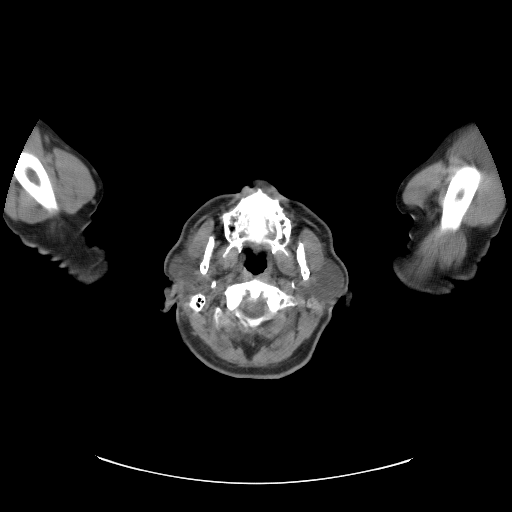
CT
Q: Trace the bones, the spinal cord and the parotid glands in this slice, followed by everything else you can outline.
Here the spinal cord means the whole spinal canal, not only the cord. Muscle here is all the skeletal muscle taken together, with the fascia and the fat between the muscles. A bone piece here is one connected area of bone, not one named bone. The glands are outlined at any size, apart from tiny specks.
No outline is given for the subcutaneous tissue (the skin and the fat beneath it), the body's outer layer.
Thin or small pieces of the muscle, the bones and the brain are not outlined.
A: {"bones":[[[257,187],[260,187],[271,197],[277,198],[284,213],[291,221],[291,233],[289,241],[285,246],[288,255],[285,255],[281,251],[273,254],[267,243],[256,244],[245,242],[239,253],[233,247],[227,256],[224,257],[223,253],[228,242],[223,233],[220,216]],{"outer":[[253,278],[277,286],[287,294],[292,295],[297,302],[297,304],[295,306],[287,306],[280,309],[271,319],[264,322],[259,327],[254,329],[250,328],[248,331],[244,332],[240,328],[238,319],[231,311],[226,310],[223,291],[227,286],[231,284],[249,281]],"hole":[[259,298],[262,298],[264,300],[266,304],[266,307],[267,308],[265,312],[264,312],[262,314],[258,316],[250,316],[246,314],[240,308],[240,305],[241,303],[244,300],[245,300],[248,303],[255,303],[258,300]]},[[466,164],[474,165],[483,174],[483,178],[480,182],[472,198],[472,200],[461,220],[460,226],[455,231],[447,230],[444,232],[440,232],[438,228],[440,222],[440,215],[442,210],[441,204],[442,199],[449,184],[450,178],[454,174],[454,171],[458,167]],[[24,148],[25,148],[27,151],[35,155],[40,160],[49,176],[54,191],[54,194],[56,198],[56,201],[58,205],[58,210],[53,213],[48,211],[39,204],[22,187],[18,181],[13,177],[13,173],[14,172],[15,166],[18,161],[19,156],[22,150]],[[211,235],[212,235],[214,237],[214,248],[209,260],[209,266],[208,267],[208,269],[205,274],[202,274],[199,270],[199,265],[200,264],[200,262],[202,260],[203,254],[204,253],[204,250],[205,249],[205,246],[208,241],[208,238],[209,236]],[[299,242],[302,242],[303,243],[303,245],[304,246],[304,251],[305,252],[305,257],[306,258],[306,263],[310,272],[309,278],[307,280],[304,280],[303,279],[301,275],[300,267],[298,264],[298,262],[296,258],[296,250],[297,249],[297,246]],[[196,293],[202,293],[205,296],[205,297],[206,298],[206,304],[204,306],[204,307],[202,309],[202,310],[201,310],[200,311],[198,311],[197,312],[194,311],[188,305],[188,303],[189,302],[189,300],[190,299],[190,297],[192,295],[193,295]],[[217,305],[219,305],[221,307],[223,311],[223,313],[222,314],[221,319],[222,320],[226,320],[227,319],[228,320],[228,322],[227,323],[223,325],[220,325],[219,326],[216,326],[215,325],[215,323],[213,319],[213,310],[214,309],[214,307]]],"spinal_cord":[[[259,298],[260,298],[261,299],[262,298],[264,300],[264,301],[266,304],[266,307],[267,308],[266,309],[265,312],[264,312],[262,314],[261,314],[258,316],[254,316],[254,314],[253,313],[252,313],[252,303],[255,303],[258,300],[258,299]]],"parotid_glands":[[[322,256],[324,258],[329,258],[334,262],[338,266],[343,277],[343,286],[341,291],[325,306],[324,309],[321,309],[320,308],[320,306],[318,304],[318,300],[316,297],[316,295],[312,290],[312,287],[311,286],[311,278],[314,268],[318,265]],[[181,252],[186,252],[187,253],[187,255],[189,257],[189,259],[191,261],[191,263],[193,265],[193,267],[195,270],[195,277],[193,281],[191,283],[191,284],[185,289],[180,289],[176,285],[176,282],[173,276],[169,271],[169,267],[174,256],[179,254]]],"left_arm":[[[466,117],[476,125],[491,155],[505,197],[507,212],[472,280],[457,281],[455,290],[447,295],[410,293],[398,281],[391,266],[394,255],[404,251],[408,229],[412,223],[408,214],[402,214],[398,210],[395,203],[396,191],[403,178],[432,153],[456,123]]],"muscle":[{"outer":[[262,187],[268,188],[320,230],[327,257],[322,255],[313,268],[310,286],[323,314],[295,357],[274,367],[237,367],[214,359],[202,349],[190,332],[181,300],[184,290],[194,281],[196,270],[188,253],[182,250],[190,229],[202,215],[255,188],[219,216],[222,233],[227,242],[222,256],[226,258],[233,248],[239,254],[245,243],[267,244],[273,255],[281,252],[288,256],[286,246],[292,233],[292,221],[285,213],[280,200]],"holes":[[[253,278],[277,286],[287,294],[292,295],[297,302],[297,304],[295,306],[287,306],[280,309],[271,319],[264,322],[259,327],[254,329],[250,328],[248,331],[244,332],[240,328],[238,319],[231,311],[226,310],[223,291],[227,286],[231,284],[249,281]],[[246,250],[249,250],[256,256],[258,256],[260,254],[263,254],[264,255],[264,257],[265,258],[265,267],[262,271],[258,273],[252,273],[251,271],[248,270],[246,268],[246,266],[245,265],[245,263],[246,262],[246,258],[247,257],[247,255],[246,254]],[[299,242],[302,242],[303,243],[303,245],[304,246],[304,251],[305,252],[305,257],[306,258],[306,263],[310,272],[309,278],[307,280],[304,280],[303,279],[301,275],[300,267],[298,264],[298,262],[296,258],[296,250],[297,249],[297,246]],[[211,235],[212,235],[214,237],[214,248],[209,260],[209,266],[208,267],[208,269],[205,274],[202,274],[199,270],[199,265],[200,264],[200,262],[202,260],[203,254],[204,253],[204,250],[205,249],[205,246],[208,241],[208,238],[209,236]],[[196,293],[202,293],[205,296],[205,297],[206,298],[206,304],[204,306],[204,307],[202,309],[202,310],[201,310],[200,311],[198,311],[197,312],[194,311],[188,305],[188,303],[189,302],[189,300],[190,299],[190,297],[192,295],[193,295]],[[217,305],[219,305],[221,307],[223,311],[223,313],[222,314],[221,319],[222,320],[226,320],[227,319],[228,320],[228,322],[227,323],[223,325],[220,325],[219,326],[216,326],[215,325],[215,323],[213,319],[213,310],[214,309],[214,307]]]},{"outer":[[474,125],[476,125],[481,134],[497,170],[505,197],[505,204],[497,219],[483,230],[459,266],[451,266],[431,277],[416,280],[406,273],[406,263],[411,259],[417,243],[431,226],[425,223],[415,209],[403,202],[403,191],[416,173],[444,155],[459,131]],"hole":[[466,164],[474,165],[483,174],[483,178],[480,182],[472,198],[472,200],[461,220],[460,226],[455,231],[447,230],[444,232],[440,232],[438,228],[440,222],[440,215],[442,210],[441,204],[442,199],[449,184],[450,178],[454,174],[454,171],[458,167]]},[[35,126],[48,133],[57,146],[76,156],[86,166],[96,188],[91,201],[86,203],[68,221],[55,226],[41,226],[35,223],[29,224],[22,221],[15,221],[4,212],[12,178],[45,210],[52,214],[59,210],[53,184],[48,172],[41,160],[25,147]]],"head":[{"outer":[[260,173],[328,225],[352,292],[347,308],[344,296],[333,306],[310,360],[292,373],[273,379],[236,378],[209,368],[182,341],[175,321],[176,307],[159,310],[165,299],[164,288],[171,282],[163,272],[163,262],[185,221],[208,199],[237,192]],"hole":[[246,250],[249,250],[256,256],[258,256],[260,254],[263,254],[264,255],[264,257],[265,258],[265,267],[262,271],[258,273],[252,273],[251,271],[248,270],[246,268],[246,266],[245,265],[245,263],[246,262],[246,258],[247,257],[247,255],[246,254]]}],"right_arm":[[[39,119],[44,120],[67,143],[85,156],[103,182],[103,197],[92,215],[91,222],[85,229],[89,242],[103,247],[111,260],[108,274],[98,283],[83,285],[76,282],[67,275],[63,268],[59,268],[47,256],[24,245],[4,222],[3,213],[15,166]]],"brain":[[[244,300],[245,300],[248,303],[251,303],[251,313],[252,314],[253,314],[253,316],[250,316],[249,315],[248,315],[247,314],[246,314],[240,308],[240,305],[241,304],[241,303]]]}